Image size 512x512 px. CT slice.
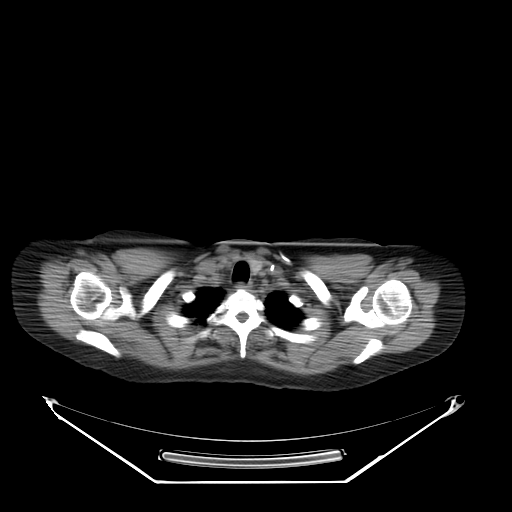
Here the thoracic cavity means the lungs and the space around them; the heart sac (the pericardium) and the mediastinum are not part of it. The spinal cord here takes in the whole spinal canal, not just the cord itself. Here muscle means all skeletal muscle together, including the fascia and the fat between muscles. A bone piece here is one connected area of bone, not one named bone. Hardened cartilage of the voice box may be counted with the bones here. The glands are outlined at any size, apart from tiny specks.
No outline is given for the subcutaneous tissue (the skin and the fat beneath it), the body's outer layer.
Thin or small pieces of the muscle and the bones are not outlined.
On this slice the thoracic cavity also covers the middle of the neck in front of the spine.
The left arm is outlined by [[407,243],[423,245],[451,257],[460,267],[465,281],[465,289],[466,290],[465,314],[461,329],[457,337],[453,343],[445,351],[421,364],[408,353],[384,323],[377,309],[376,302],[376,258],[377,252],[379,250],[379,244],[386,245],[387,244],[406,244]]. The bones appear in 12 outlined pieces: piece 1: [[171,268],[175,270],[174,277],[154,306],[140,317],[132,319],[124,315],[115,320],[85,319],[71,306],[70,294],[75,276],[81,271],[90,271],[110,288],[114,307],[122,302],[119,287],[124,286],[131,293],[132,303],[138,312],[144,294],[163,272]]; piece 2: [[388,279],[400,280],[407,286],[410,292],[412,309],[410,315],[404,322],[395,325],[369,328],[356,321],[346,322],[344,320],[344,311],[353,294],[358,289],[362,286],[368,288],[367,294],[360,303],[361,308],[366,312],[372,307],[371,304],[374,291]]; piece 3: [[238,289],[244,289],[260,299],[263,302],[265,307],[264,312],[267,318],[266,323],[261,323],[247,335],[247,339],[245,343],[244,358],[240,357],[239,337],[230,327],[222,324],[218,326],[213,326],[206,322],[207,317],[222,300],[228,294],[233,294]] with a hole at [[240,313],[245,313],[247,315],[247,318],[244,321],[240,321],[237,318],[237,315],[238,314],[239,314]]; piece 4: [[82,328],[84,328],[85,329],[89,329],[90,330],[93,330],[94,331],[97,331],[104,334],[111,341],[114,346],[118,349],[118,350],[121,353],[121,356],[118,358],[101,349],[99,349],[92,345],[90,345],[81,340],[77,339],[75,335],[76,333]]; piece 5: [[302,269],[308,269],[310,270],[312,272],[316,274],[323,281],[323,282],[327,287],[331,295],[331,299],[329,301],[329,305],[328,306],[326,306],[324,305],[319,300],[319,299],[317,297],[314,291],[303,278],[302,275],[300,273],[300,271]]; piece 6: [[272,324],[282,330],[285,330],[290,332],[295,332],[296,333],[307,333],[308,334],[315,335],[316,336],[316,339],[310,343],[297,343],[296,342],[289,341],[284,338],[282,338],[276,335],[270,338],[268,338],[265,334],[264,330],[265,328]]; piece 7: [[370,338],[376,338],[377,339],[379,339],[381,340],[383,344],[385,346],[380,351],[379,351],[374,355],[372,355],[364,361],[360,363],[358,363],[357,364],[353,364],[352,363],[352,361],[353,359],[362,350],[362,349],[365,346],[366,343]]; piece 8: [[169,312],[175,312],[177,314],[178,314],[179,315],[183,315],[186,317],[188,317],[189,318],[189,319],[191,322],[189,324],[188,324],[184,328],[178,328],[177,327],[173,327],[172,326],[171,326],[170,325],[169,325],[166,322],[166,315]]; piece 9: [[308,317],[318,317],[319,318],[319,319],[322,322],[322,324],[317,329],[315,329],[314,330],[303,330],[302,329],[302,328],[301,327],[301,321],[304,318],[307,318]]; piece 10: [[206,328],[210,328],[211,329],[210,334],[207,337],[206,337],[205,338],[200,338],[199,339],[197,339],[193,342],[190,342],[189,341],[187,341],[186,340],[186,339],[188,337],[189,337],[190,336],[192,336],[193,335],[196,334],[198,332],[199,332]]; piece 11: [[292,294],[295,294],[296,295],[297,295],[301,299],[301,300],[303,302],[303,304],[302,305],[302,306],[301,306],[299,308],[298,307],[296,307],[295,306],[294,306],[289,301],[289,299],[288,298],[289,297],[289,296],[290,296]]; piece 12: [[189,290],[190,290],[193,293],[194,293],[194,294],[195,295],[195,298],[191,302],[189,302],[188,303],[186,303],[184,301],[184,300],[183,299],[183,297],[182,296],[182,295],[184,293],[185,293],[187,291],[188,291]]. The thyroid glands appear in 2 outlined pieces: piece 1: [[248,258],[253,258],[254,259],[256,259],[257,260],[259,260],[260,261],[261,261],[263,263],[263,266],[262,267],[262,268],[260,270],[260,271],[256,275],[253,275],[251,272],[251,269],[250,268],[250,265],[249,264],[249,262],[248,261]]; piece 2: [[233,258],[236,258],[234,260],[234,261],[232,263],[232,264],[231,265],[231,266],[230,267],[230,268],[228,268],[224,264],[224,261],[225,260],[230,260],[231,259],[232,259]]. The thoracic cavity is outlined by [[240,256],[247,258],[253,276],[264,265],[271,266],[271,273],[288,301],[304,317],[299,327],[290,331],[272,323],[266,315],[264,302],[244,288],[228,293],[206,317],[205,325],[192,323],[183,314],[183,307],[207,284],[212,269],[222,264],[230,269]]. The right arm is outlined by [[37,235],[67,236],[72,238],[75,237],[89,238],[91,237],[99,251],[99,255],[103,267],[104,278],[105,279],[104,297],[99,308],[50,347],[47,347],[35,340],[19,325],[13,313],[10,302],[9,266],[12,254],[16,247],[22,241],[27,238]]. The muscle is outlined by [[224,244],[293,253],[358,252],[372,256],[376,264],[396,256],[412,257],[424,275],[442,285],[435,305],[438,325],[409,351],[369,358],[386,346],[370,337],[352,364],[309,375],[277,370],[245,358],[248,335],[268,320],[271,324],[263,330],[268,339],[310,344],[317,339],[315,334],[293,331],[314,331],[323,322],[318,316],[304,316],[304,302],[283,290],[271,265],[240,255],[212,268],[206,284],[195,293],[184,292],[182,314],[169,311],[165,322],[178,329],[191,323],[226,326],[238,337],[241,359],[172,370],[121,357],[97,330],[80,328],[75,338],[89,345],[75,343],[39,315],[37,273],[45,259],[67,256],[74,249],[110,254],[133,247],[192,258]], around holes outlined by [[171,268],[175,270],[174,277],[154,306],[140,317],[132,319],[124,315],[115,320],[85,319],[71,306],[70,294],[75,276],[81,271],[90,271],[110,288],[114,307],[122,302],[119,287],[124,286],[131,293],[132,303],[138,312],[144,294],[163,272]] and by [[388,279],[400,280],[407,286],[410,292],[412,309],[410,315],[404,322],[395,325],[369,328],[356,321],[346,322],[344,320],[344,311],[353,294],[358,289],[362,286],[368,288],[367,294],[360,303],[361,308],[366,312],[372,307],[371,304],[374,291]] and by [[302,269],[308,269],[310,270],[312,272],[316,274],[323,281],[323,282],[327,287],[331,295],[331,299],[329,301],[329,305],[328,306],[326,306],[324,305],[319,300],[319,299],[317,297],[314,291],[303,278],[302,275],[300,273],[300,271]] and by [[206,328],[210,328],[211,329],[210,334],[207,337],[206,337],[205,338],[200,338],[199,339],[197,339],[193,342],[190,342],[189,341],[187,341],[186,340],[186,339],[188,337],[189,337],[190,336],[192,336],[193,335],[196,334],[198,332],[199,332]]. The torso is outlined by [[117,228],[158,232],[199,244],[231,238],[270,242],[312,236],[357,237],[375,242],[378,244],[375,258],[376,309],[396,340],[419,364],[361,387],[332,392],[225,382],[137,384],[82,366],[49,348],[102,305],[106,290],[105,271],[100,251],[92,237]]. The spinal cord is outlined by [[240,313],[245,313],[247,315],[247,318],[244,321],[240,321],[237,318],[237,315],[238,314],[239,314]].